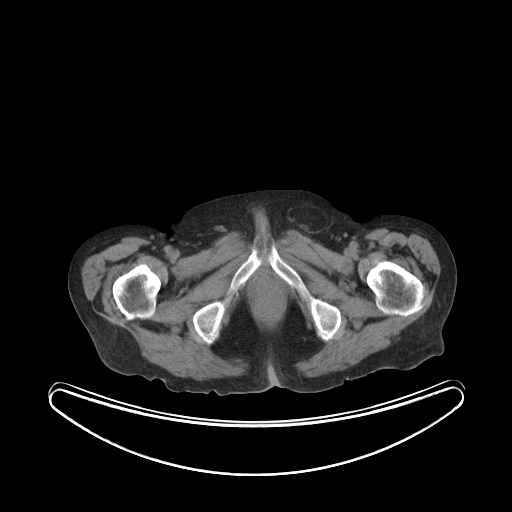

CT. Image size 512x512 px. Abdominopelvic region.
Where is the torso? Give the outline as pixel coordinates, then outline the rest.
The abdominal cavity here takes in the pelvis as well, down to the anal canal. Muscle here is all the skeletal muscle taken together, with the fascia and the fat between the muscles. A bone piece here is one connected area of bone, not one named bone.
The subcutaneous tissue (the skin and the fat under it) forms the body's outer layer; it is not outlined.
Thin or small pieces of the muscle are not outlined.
The torso is outlined by (263, 189) (312, 191) (358, 222) (389, 213) (435, 227) (457, 268) (442, 330) (444, 352) (409, 370) (380, 369) (309, 393) (277, 386) (227, 395) (174, 392) (159, 379) (124, 375) (104, 365) (67, 289) (76, 249) (92, 235) (122, 224) (169, 232) (169, 225) (197, 204). The abdominal cavity is outlined by (264, 286) (273, 287) (278, 292) (279, 294) (279, 297) (281, 300) (281, 310) (280, 311) (280, 314) (277, 320) (274, 323) (272, 324) (269, 324) (268, 325) (265, 325) (262, 323) (260, 323) (260, 321) (258, 319) (254, 311) (254, 298) (256, 296) (260, 289). The muscle is outlined by (383, 227) (417, 230) (433, 247) (441, 270) (432, 303) (401, 331) (397, 342) (346, 369) (316, 377) (299, 375) (294, 365) (319, 349) (317, 336) (324, 342) (334, 338) (342, 323) (342, 313) (336, 305) (312, 295) (299, 273) (273, 244) (266, 260) (305, 300) (315, 331) (308, 327) (294, 299) (282, 329) (275, 333) (262, 334) (247, 315) (243, 301) (220, 333) (227, 303) (263, 262) (253, 247) (232, 275) (225, 297) (201, 306) (191, 318) (197, 335) (207, 345) (213, 344) (217, 354) (239, 358) (248, 365) (247, 373) (240, 376) (196, 380) (175, 376) (148, 362) (127, 330) (94, 312) (81, 280) (81, 267) (90, 251) (114, 237) (145, 238) (174, 259) (206, 249) (232, 232) (262, 243) (293, 229) (341, 253) (357, 234), around holes outlined by (384, 260) (391, 261) (403, 267) (421, 281) (425, 288) (424, 297) (422, 301) (423, 306) (421, 309) (414, 313) (403, 316) (397, 314) (385, 315) (377, 307) (375, 302) (375, 295) (367, 285) (366, 276) (369, 270) (372, 267) (375, 266) (380, 261) and by (141, 263) (145, 263) (159, 277) (161, 281) (161, 286) (156, 296) (156, 304) (155, 305) (155, 312) (154, 314) (150, 318) (147, 319) (135, 318) (131, 320) (128, 320) (126, 319) (125, 316) (117, 307) (112, 293) (112, 285) (115, 279) (118, 276) (127, 272) (136, 265) and by (264, 286) (273, 287) (278, 292) (279, 294) (279, 297) (281, 300) (281, 310) (280, 311) (280, 314) (277, 320) (274, 323) (272, 324) (269, 324) (268, 325) (265, 325) (262, 323) (260, 323) (260, 321) (258, 319) (254, 311) (254, 298) (256, 296) (260, 289). The bones appear in 4 outlined pieces: piece 1: (384, 260) (391, 261) (403, 267) (421, 281) (425, 288) (424, 297) (422, 301) (423, 306) (421, 309) (414, 313) (403, 316) (397, 314) (385, 315) (377, 307) (375, 302) (375, 295) (367, 285) (366, 276) (369, 270) (372, 267) (375, 266) (380, 261); piece 2: (141, 263) (145, 263) (159, 277) (161, 281) (161, 286) (156, 296) (156, 304) (155, 305) (155, 312) (154, 314) (150, 318) (147, 319) (135, 318) (131, 320) (128, 320) (126, 319) (125, 316) (117, 307) (112, 293) (112, 285) (115, 279) (118, 276) (127, 272) (136, 265); piece 3: (273, 245) (276, 248) (281, 258) (298, 273) (306, 288) (312, 296) (334, 305) (339, 309) (341, 313) (341, 323) (333, 338) (324, 341) (317, 335) (316, 328) (306, 300) (301, 297) (298, 292) (280, 277) (271, 267) (267, 260) (267, 257) (270, 253) (271, 247); piece 4: (253, 248) (256, 249) (257, 254) (262, 259) (262, 262) (253, 271) (244, 284) (231, 295) (225, 306) (225, 311) (221, 319) (219, 334) (215, 341) (209, 345) (204, 342) (196, 332) (192, 320) (193, 314) (201, 307) (214, 301) (221, 301) (226, 297) (233, 275) (251, 253).